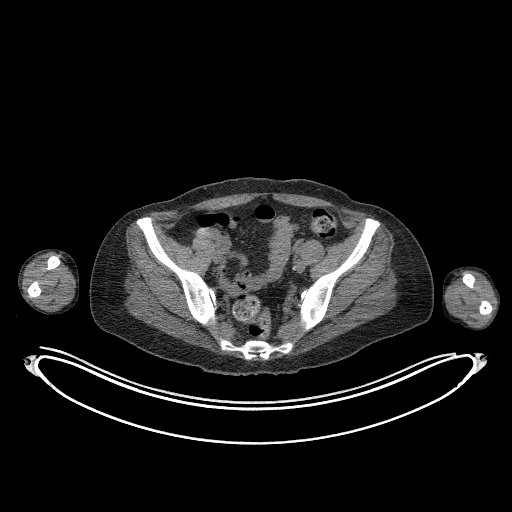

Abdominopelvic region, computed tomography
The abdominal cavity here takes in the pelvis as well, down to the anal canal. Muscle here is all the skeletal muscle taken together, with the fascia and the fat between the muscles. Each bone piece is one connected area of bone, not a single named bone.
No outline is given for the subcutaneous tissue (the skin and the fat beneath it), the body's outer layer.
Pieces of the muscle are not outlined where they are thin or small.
left arm: 464 265; 472 265; 484 269; 491 276; 497 286; 498 291; 500 294; 500 305; 494 320; 489 326; 481 330; 466 329; 459 324; 450 321; 444 315; 442 310; 441 288; 443 279; 448 272; 457 267
right arm: 45 248; 58 248; 67 252; 74 259; 77 266; 78 274; 79 275; 79 295; 75 305; 68 311; 64 312; 61 314; 58 314; 57 315; 45 315; 33 309; 20 295; 20 293; 17 286; 17 275; 18 274; 18 271; 22 263; 33 253
abdominal cavity: 263 196; 293 206; 332 208; 348 236; 326 247; 316 239; 301 246; 312 283; 300 293; 299 310; 279 326; 271 342; 244 341; 231 321; 216 311; 215 291; 202 277; 214 255; 212 240; 197 235; 186 245; 166 231; 196 210; 237 206
bones 1: 367 217; 378 220; 380 223; 375 233; 372 236; 369 246; 359 261; 352 267; 343 272; 336 280; 323 318; 310 330; 299 336; 302 331; 300 325; 299 312; 301 293; 320 276; 331 272; 337 268; 350 254; 361 235; 364 227; 365 219
bones 2: 143 216; 149 216; 151 218; 152 225; 158 240; 168 256; 181 268; 196 272; 213 289; 217 306; 215 311; 216 319; 213 324; 207 327; 203 326; 192 316; 188 308; 183 288; 178 276; 155 257; 150 250; 142 231; 136 223; 136 220
bones 3: 216 336; 228 339; 237 346; 241 345; 248 339; 265 340; 274 345; 278 345; 286 341; 294 341; 294 343; 291 350; 286 354; 279 351; 274 351; 267 359; 257 355; 254 358; 247 360; 240 351; 228 351; 221 349; 219 342; 215 337
bones 4: 34 281; 37 281; 38 282; 38 285; 39 286; 39 287; 40 288; 41 291; 40 292; 40 293; 38 296; 37 296; 36 297; 30 297; 28 294; 28 292; 27 291; 27 289; 28 288; 28 287; 30 285; 30 284; 32 282; 33 282
bones 5: 482 300; 486 300; 487 301; 488 301; 490 303; 490 304; 492 307; 492 309; 491 310; 491 311; 490 312; 490 313; 489 313; 488 314; 481 314; 480 313; 480 312; 479 311; 479 306; 480 305; 480 304; 481 303; 481 301
bones 6: 52 255; 57 255; 57 256; 59 258; 59 259; 60 260; 60 262; 59 263; 59 264; 56 267; 55 267; 54 268; 53 268; 52 269; 49 269; 48 270; 47 269; 47 260; 48 259; 48 258; 50 256; 51 256
bones 7: 464 273; 470 273; 475 278; 475 280; 474 281; 474 283; 473 284; 473 288; 470 288; 468 286; 467 286; 463 282; 463 281; 462 280; 462 277; 463 276; 463 275; 464 274
torso: 245 176; 311 179; 394 214; 416 237; 430 266; 434 283; 431 317; 423 324; 366 346; 341 361; 276 375; 228 375; 203 371; 196 366; 154 356; 102 330; 91 316; 88 290; 97 250; 112 225; 128 211; 145 204; 173 198; 200 185
muscle 1: 380 221; 392 233; 394 241; 390 265; 397 278; 395 305; 386 313; 303 353; 272 360; 249 360; 257 356; 267 360; 274 352; 288 354; 294 346; 294 340; 278 344; 272 342; 280 326; 298 312; 299 337; 324 318; 337 280; 363 257
muscle 2: 134 220; 154 257; 177 276; 193 319; 207 328; 216 322; 216 312; 227 318; 243 342; 237 345; 223 336; 214 337; 221 350; 240 352; 244 359; 217 354; 185 342; 146 324; 128 312; 124 305; 127 293; 123 284; 131 264; 125 231
muscle 3: 254 192; 312 196; 370 214; 377 219; 367 216; 349 254; 337 267; 312 282; 311 265; 302 257; 302 246; 310 240; 316 240; 326 248; 349 236; 337 210; 329 206; 293 205; 276 200; 270 195; 216 209; 196 209; 185 214; 165 233; 186 246; 191 246; 197 236; 206 236; 211 240; 213 255; 201 276; 196 271; 181 267; 169 256; 159 240; 152 218; 143 215; 152 211; 179 209; 211 198
muscle 4: 50 251; 53 251; 58 254; 61 254; 63 256; 72 271; 75 280; 75 287; 74 288; 74 296; 73 298; 69 303; 63 306; 60 309; 55 311; 46 311; 36 306; 32 301; 25 295; 22 288; 23 272; 27 264; 35 257; 47 253 with holes at 34 281; 37 281; 38 282; 38 285; 39 286; 39 287; 40 288; 41 291; 40 292; 40 293; 38 296; 37 296; 36 297; 30 297; 28 294; 28 292; 27 291; 27 289; 28 288; 28 287; 30 285; 30 284; 32 282; 33 282 and at 52 255; 57 255; 57 256; 59 258; 59 259; 60 260; 60 262; 59 263; 59 264; 56 267; 55 267; 54 268; 53 268; 52 269; 49 269; 48 270; 47 269; 47 260; 48 259; 48 258; 50 256; 51 256
muscle 5: 463 270; 473 270; 484 275; 491 284; 497 300; 496 308; 494 310; 492 316; 484 325; 480 327; 472 327; 470 326; 460 318; 455 317; 449 313; 446 307; 445 299; 444 298; 446 288; 447 286; 451 283; 453 280; 453 278; 456 274 with holes at 482 300; 486 300; 487 301; 488 301; 490 303; 490 304; 492 307; 492 309; 491 310; 491 311; 490 312; 490 313; 489 313; 488 314; 481 314; 480 313; 480 312; 479 311; 479 306; 480 305; 480 304; 481 303; 481 301 and at 464 273; 470 273; 475 278; 475 280; 474 281; 474 283; 473 284; 473 288; 470 288; 468 286; 467 286; 463 282; 463 281; 462 280; 462 277; 463 276; 463 275; 464 274